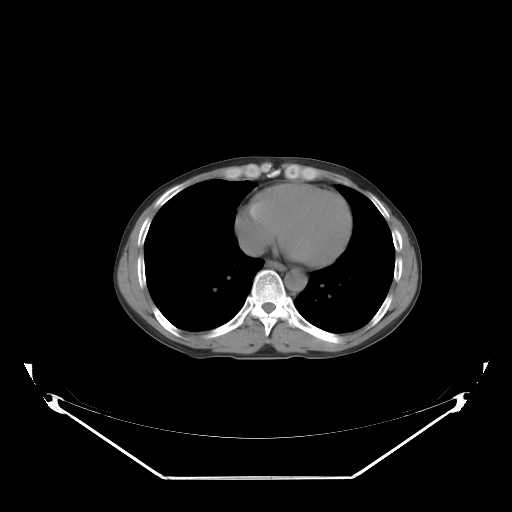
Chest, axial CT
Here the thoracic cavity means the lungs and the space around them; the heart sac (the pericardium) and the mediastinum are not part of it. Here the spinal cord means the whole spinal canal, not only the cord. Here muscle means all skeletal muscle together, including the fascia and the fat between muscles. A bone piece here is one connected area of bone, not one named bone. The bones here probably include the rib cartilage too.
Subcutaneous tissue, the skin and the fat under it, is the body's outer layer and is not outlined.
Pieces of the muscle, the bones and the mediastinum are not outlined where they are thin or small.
The torso is outlined by [[247,155],[301,156],[340,164],[371,181],[405,216],[416,236],[421,253],[422,285],[415,305],[391,333],[357,352],[330,359],[196,359],[157,341],[130,319],[115,295],[112,269],[122,233],[136,208],[160,185],[185,172],[218,160]]. The spinal cord is outlined by [[268,302],[269,303],[271,303],[272,304],[273,304],[274,305],[274,309],[273,310],[272,310],[270,312],[267,312],[266,311],[265,311],[263,309],[263,308],[262,307],[262,305],[264,303],[267,303]]. The mediastinum appears in 2 outlined pieces: piece 1: [[246,254],[261,258],[275,259],[289,264],[296,268],[308,270],[310,272],[311,271],[319,270],[314,271],[312,272],[310,274],[307,284],[305,287],[293,299],[287,294],[284,286],[284,283],[280,275],[275,270],[270,268],[261,269],[264,264],[264,261],[261,258],[249,256]]; piece 2: [[262,175],[264,175],[267,178],[274,178],[275,177],[277,177],[278,176],[280,176],[282,175],[285,178],[276,178],[275,179],[271,179],[263,183],[261,183],[260,184],[258,184],[256,185],[256,184],[253,181],[250,180],[252,180],[253,179],[257,179]]. The pericardium is outlined by [[276,179],[290,179],[305,181],[313,184],[325,184],[337,190],[348,203],[352,214],[351,236],[347,247],[343,253],[331,265],[321,269],[310,271],[308,269],[296,267],[275,258],[248,254],[240,247],[234,234],[234,220],[240,203],[245,195],[253,188]]. The thoracic cavity appears in 2 outlined pieces: piece 1: [[210,179],[229,181],[249,180],[255,184],[244,195],[235,209],[233,234],[241,251],[249,257],[261,259],[263,264],[254,275],[249,293],[243,304],[230,319],[209,330],[189,331],[173,324],[155,304],[147,286],[144,244],[152,220],[163,205],[187,187]]; piece 2: [[338,184],[354,189],[374,205],[384,218],[390,230],[395,256],[392,280],[384,299],[375,313],[361,327],[341,333],[328,331],[313,324],[299,312],[294,303],[295,298],[308,284],[311,274],[336,264],[346,251],[351,239],[353,214],[349,203],[336,188]]. The muscle appears in 3 outlined pieces: piece 1: [[157,198],[156,213],[152,218],[147,216],[138,231],[136,244],[143,246],[143,254],[137,257],[136,275],[139,287],[147,287],[154,303],[151,306],[154,317],[178,338],[182,337],[182,330],[207,331],[205,339],[215,338],[238,328],[248,317],[261,322],[266,337],[281,319],[290,327],[334,344],[343,340],[339,334],[374,326],[387,312],[393,299],[388,292],[391,283],[400,280],[403,269],[402,258],[395,255],[403,247],[402,235],[397,228],[390,229],[386,221],[390,214],[381,201],[401,222],[415,252],[415,292],[395,319],[361,343],[339,351],[280,352],[265,344],[252,353],[235,353],[181,344],[142,318],[128,304],[117,281],[119,261],[128,238],[140,215]]; piece 2: [[245,164],[246,164],[243,167],[240,166],[231,166],[230,167],[227,167],[224,169],[222,172],[223,178],[210,178],[194,183],[188,186],[187,186],[185,182],[182,182],[195,175],[204,172],[211,171],[214,169],[217,169],[222,167],[229,167],[230,166],[239,166]]; piece 3: [[316,168],[330,171],[331,172],[334,172],[335,173],[346,176],[361,188],[365,189],[372,193],[369,193],[366,196],[354,188],[348,186],[349,185],[349,183],[347,181],[342,180],[338,178],[334,178],[333,180],[331,179],[317,179],[320,176],[320,172]]. The bones appear in 10 outlined pieces: piece 1: [[264,269],[273,270],[279,275],[286,294],[306,320],[325,331],[340,335],[342,340],[338,343],[322,340],[290,326],[281,318],[266,336],[262,322],[252,316],[248,316],[241,325],[226,333],[205,338],[208,331],[226,323],[239,311],[250,293],[255,275]] with a hole at [[268,302],[269,303],[271,303],[272,304],[273,304],[274,305],[274,309],[273,310],[272,310],[270,312],[267,312],[266,311],[265,311],[263,309],[263,308],[262,307],[262,305],[264,303],[267,303]]; piece 2: [[250,163],[258,165],[269,163],[282,171],[290,164],[297,164],[302,168],[315,168],[319,176],[313,180],[304,180],[286,178],[282,174],[267,177],[263,173],[257,178],[243,179],[242,177],[238,180],[229,180],[224,178],[224,170],[231,167],[243,168]]; piece 3: [[154,304],[158,308],[158,309],[161,312],[161,313],[173,325],[174,325],[177,328],[181,330],[180,331],[181,337],[178,337],[174,335],[172,333],[168,331],[165,328],[164,328],[160,324],[160,323],[155,317],[153,313],[153,311],[152,310],[152,306]]; piece 4: [[180,183],[185,183],[186,185],[186,187],[185,188],[184,188],[182,190],[178,192],[175,195],[174,195],[171,198],[170,198],[159,208],[157,208],[155,207],[155,203],[156,201],[158,199],[158,198],[165,191],[166,191],[171,187],[177,184],[179,184]]; piece 5: [[388,293],[391,294],[391,295],[392,296],[392,299],[391,300],[391,302],[390,303],[386,312],[383,315],[383,316],[374,325],[373,325],[368,328],[366,326],[366,325],[372,318],[372,317],[376,313],[376,312],[382,304],[383,301],[385,299],[385,298]]; piece 6: [[142,254],[143,255],[143,259],[144,260],[144,266],[145,267],[145,278],[146,279],[146,287],[145,287],[144,288],[141,288],[140,287],[140,286],[139,285],[139,281],[138,280],[138,276],[137,275],[137,260],[138,259],[138,257],[140,255],[141,255]]; piece 7: [[147,217],[150,217],[152,219],[151,220],[149,228],[147,231],[147,233],[146,234],[146,236],[145,237],[143,245],[141,246],[138,246],[137,244],[137,240],[138,239],[138,235],[139,234],[139,231],[140,230],[140,228],[144,220]]; piece 8: [[369,194],[372,194],[373,195],[374,195],[381,202],[381,203],[386,209],[386,210],[388,212],[388,213],[389,214],[389,218],[388,219],[385,219],[385,218],[381,214],[381,213],[378,210],[378,209],[375,206],[375,205],[367,197],[367,196]]; piece 9: [[394,228],[395,228],[396,229],[397,229],[401,235],[401,239],[402,240],[402,247],[401,248],[401,249],[400,250],[400,251],[395,251],[395,248],[394,247],[394,244],[393,243],[393,239],[392,238],[392,235],[391,234],[391,230]]; piece 10: [[396,257],[400,257],[401,258],[401,260],[402,261],[402,269],[401,270],[401,276],[400,277],[400,278],[399,279],[399,280],[398,281],[395,281],[394,280],[393,280],[393,274],[394,273],[394,264],[395,263],[395,258]].